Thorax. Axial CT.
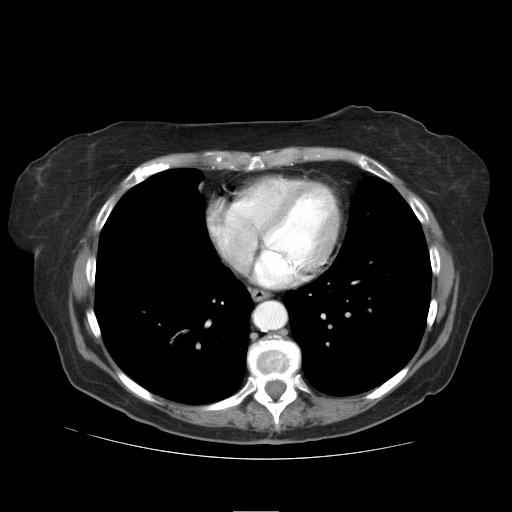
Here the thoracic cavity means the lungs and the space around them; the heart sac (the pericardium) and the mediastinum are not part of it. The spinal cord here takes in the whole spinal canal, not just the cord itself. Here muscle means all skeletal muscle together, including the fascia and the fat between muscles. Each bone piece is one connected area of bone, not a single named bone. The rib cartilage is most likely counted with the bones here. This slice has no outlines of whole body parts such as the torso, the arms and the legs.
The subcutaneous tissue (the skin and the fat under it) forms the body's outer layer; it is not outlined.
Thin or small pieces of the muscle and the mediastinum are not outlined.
Outlined structures:
muscle 1: (384, 166) (399, 177) (432, 211) (459, 272) (459, 285) (453, 326) (444, 346) (372, 407) (339, 421) (280, 432) (208, 427) (174, 418) (138, 399) (78, 352) (68, 290) (79, 242) (99, 209) (93, 226) (99, 232) (96, 256) (90, 254) (85, 262) (87, 284) (94, 287) (93, 308) (88, 307) (85, 316) (92, 334) (102, 339) (119, 368) (117, 377) (131, 392) (151, 403) (160, 403) (157, 395) (199, 405) (201, 411) (231, 408) (251, 395) (271, 414) (277, 430) (282, 411) (298, 391) (314, 395) (310, 387) (330, 396) (368, 392) (366, 400) (381, 397) (407, 374) (425, 329) (434, 323) (438, 301) (431, 297) (431, 283) (441, 266) (438, 248) (428, 247) (422, 227) (430, 220) (426, 209) (420, 200) (415, 195) (406, 199) (403, 197) (392, 184) (396, 179) (395, 176)
muscle 2: (212, 149) (218, 149) (217, 150) (206, 150) (205, 151) (204, 151) (200, 156) (201, 161) (205, 165) (208, 166) (209, 168) (203, 168) (202, 167) (190, 167) (197, 159) (197, 156) (195, 154) (193, 154) (192, 153) (180, 153) (179, 154) (168, 155) (167, 156) (161, 157) (155, 160) (152, 160) (142, 165) (139, 165) (153, 158) (155, 158) (159, 156) (162, 156) (166, 154) (169, 154) (170, 153) (178, 153) (179, 152) (194, 152) (195, 151) (201, 150) (211, 150)
muscle 3: (122, 180) (122, 181) (121, 182) (121, 188) (123, 190) (124, 190) (125, 191) (126, 191) (118, 199) (118, 198) (114, 194) (112, 194) (109, 197) (108, 197) (108, 196) (111, 193) (111, 192) (114, 189) (114, 188) (116, 186) (116, 185) (120, 181) (121, 181)
pericardium: (260, 169) (318, 170) (345, 192) (347, 199) (347, 221) (341, 245) (337, 250) (335, 257) (333, 258) (329, 266) (317, 277) (295, 288) (276, 291) (258, 285) (251, 285) (242, 281) (227, 266) (222, 263) (208, 233) (205, 212) (211, 194) (232, 178) (243, 173)
bones 1: (272, 335) (291, 339) (298, 345) (301, 353) (299, 372) (313, 395) (298, 390) (297, 397) (281, 411) (277, 429) (272, 414) (251, 394) (239, 404) (224, 409) (201, 410) (197, 408) (200, 405) (222, 400) (237, 392) (246, 382) (249, 374) (247, 368) (248, 347) (252, 343), around a hole outlined by (273, 380) (279, 380) (281, 381) (284, 384) (285, 386) (285, 388) (283, 392) (277, 398) (275, 399) (271, 396) (270, 396) (267, 393) (265, 389) (265, 387) (267, 383)
bones 2: (285, 147) (299, 149) (333, 148) (362, 153) (376, 160) (395, 179) (391, 183) (351, 162) (339, 159) (304, 161) (297, 162) (293, 165) (280, 165) (253, 170) (211, 169) (201, 159) (202, 154) (206, 151) (223, 150) (232, 153) (261, 155) (266, 150) (270, 149) (275, 151)
bones 3: (180, 154) (192, 154) (196, 156) (196, 159) (190, 166) (171, 167) (167, 169) (164, 169) (161, 171) (158, 171) (151, 174) (145, 179) (130, 187) (127, 190) (122, 188) (123, 180) (136, 167) (142, 166) (152, 161) (155, 161) (164, 157) (179, 155)
bones 4: (406, 365) (409, 365) (409, 369) (406, 373) (406, 374) (393, 387) (392, 387) (388, 391) (384, 393) (381, 396) (379, 397) (377, 397) (376, 398) (373, 398) (372, 399) (366, 399) (364, 398) (364, 396) (367, 393) (370, 392) (375, 388) (381, 385) (388, 379) (392, 377)
bones 5: (118, 369) (120, 369) (132, 380) (133, 380) (140, 386) (141, 386) (143, 388) (144, 388) (146, 390) (153, 394) (153, 396) (159, 402) (159, 403) (156, 403) (155, 402) (151, 402) (150, 401) (148, 401) (131, 391) (120, 380) (120, 379) (118, 377) (116, 373) (116, 371)
bones 6: (112, 195) (114, 195) (117, 198) (117, 201) (112, 208) (110, 213) (108, 215) (100, 231) (96, 231) (94, 229) (94, 226) (95, 225) (95, 220) (96, 219) (96, 217) (100, 209) (102, 207) (103, 204) (106, 201) (106, 200) (107, 200) (108, 198) (109, 198)
bones 7: (409, 195) (413, 195) (414, 196) (415, 196) (419, 200) (419, 201) (425, 209) (425, 210) (427, 213) (428, 218) (429, 219) (429, 220) (427, 223) (422, 224) (416, 216) (415, 213) (413, 211) (413, 210) (411, 208) (410, 205) (406, 200)
bones 8: (90, 255) (94, 255) (96, 257) (96, 263) (95, 264) (95, 281) (94, 282) (94, 286) (93, 286) (92, 287) (91, 286) (90, 286) (88, 284) (88, 281) (87, 280) (87, 277) (86, 276) (86, 262) (87, 261) (87, 258)
bones 9: (432, 245) (434, 245) (437, 248) (437, 250) (438, 251) (438, 253) (439, 254) (439, 260) (440, 261) (440, 266) (439, 267) (439, 272) (437, 275) (434, 275) (433, 274) (432, 274) (432, 270) (431, 269) (431, 263) (430, 262) (430, 256) (429, 255) (429, 247)
bones 10: (88, 308) (92, 308) (94, 311) (94, 313) (95, 314) (95, 316) (96, 317) (96, 319) (97, 320) (97, 322) (98, 323) (98, 325) (101, 332) (101, 337) (100, 338) (97, 338) (93, 334) (92, 330) (89, 325) (89, 323) (86, 316) (86, 310)
bones 11: (431, 298) (435, 298) (437, 301) (437, 311) (436, 312) (435, 318) (433, 321) (433, 323) (431, 327) (429, 329) (427, 329) (426, 327) (426, 324) (427, 323) (426, 322) (427, 321) (427, 315) (428, 314) (428, 311) (429, 310) (429, 306) (430, 305) (430, 301) (431, 300)
thoracic cavity 1: (185, 167) (198, 168) (201, 171) (203, 178) (197, 190) (204, 202) (209, 239) (221, 263) (246, 288) (253, 303) (248, 319) (248, 374) (245, 382) (231, 395) (204, 404) (186, 404) (164, 398) (127, 375) (110, 355) (94, 310) (100, 232) (118, 200) (130, 188) (153, 174)
thoracic cavity 2: (372, 174) (390, 183) (397, 190) (421, 224) (431, 270) (426, 323) (415, 352) (392, 376) (369, 391) (353, 395) (330, 395) (310, 386) (300, 372) (302, 353) (299, 345) (292, 339) (289, 314) (283, 299) (286, 292) (311, 282) (331, 265) (346, 235) (357, 186)
mediastinum 1: (238, 279) (248, 285) (258, 286) (276, 292) (289, 290) (286, 291) (283, 295) (282, 301) (288, 314) (291, 338) (284, 338) (278, 334) (272, 334) (264, 336) (256, 341) (252, 342) (249, 345) (249, 332) (250, 331) (249, 319) (250, 314) (254, 308) (254, 303) (247, 288)
mediastinum 2: (326, 160) (331, 161) (339, 160) (348, 162) (371, 174) (371, 175) (365, 176) (356, 186) (355, 195) (351, 199) (348, 221) (348, 199) (346, 192) (322, 171) (318, 169) (282, 169) (281, 168) (275, 169) (271, 168) (280, 166) (293, 166) (297, 163) (325, 161)
mediastinum 3: (199, 168) (210, 169) (211, 170) (223, 170) (225, 169) (233, 171) (238, 171) (239, 170) (251, 171) (243, 172) (236, 175) (234, 177) (232, 177) (231, 179) (224, 182) (217, 189) (212, 192) (207, 200) (205, 211) (205, 202) (198, 190) (199, 184) (204, 178) (204, 175)
spinal cord: (273, 380) (279, 380) (281, 381) (284, 384) (285, 386) (285, 388) (283, 392) (277, 398) (275, 399) (271, 396) (270, 396) (267, 393) (265, 389) (265, 387) (267, 383)